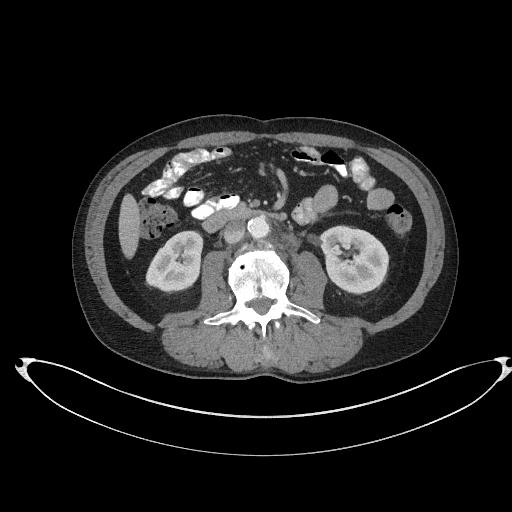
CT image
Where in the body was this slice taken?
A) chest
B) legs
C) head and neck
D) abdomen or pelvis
D) abdomen or pelvis
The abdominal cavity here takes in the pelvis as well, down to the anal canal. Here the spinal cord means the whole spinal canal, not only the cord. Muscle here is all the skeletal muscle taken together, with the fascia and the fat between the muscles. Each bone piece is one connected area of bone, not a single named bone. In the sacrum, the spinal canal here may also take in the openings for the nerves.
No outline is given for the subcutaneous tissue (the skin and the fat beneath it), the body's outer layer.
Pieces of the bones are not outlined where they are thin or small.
{"spinal_cord":[[[261,314],[262,314],[263,313],[265,313],[267,311],[267,310],[270,306],[270,305],[272,303],[273,303],[273,301],[271,301],[267,298],[262,298],[261,299],[255,299],[251,302],[250,302],[248,304],[248,305],[249,306],[251,306],[257,312],[258,312]]],"torso":[[[296,384],[336,380],[397,363],[421,352],[440,331],[454,295],[459,248],[449,204],[432,172],[377,132],[309,116],[267,120],[235,114],[198,116],[150,132],[114,154],[89,183],[71,239],[75,290],[95,337],[114,354],[172,376],[243,380],[267,375]]],"abdominal_cavity":[[[152,323],[197,304],[210,250],[228,250],[232,257],[257,246],[275,248],[290,268],[303,247],[312,251],[328,277],[326,311],[380,320],[406,301],[423,270],[425,230],[417,203],[400,179],[352,149],[259,139],[173,150],[120,190],[104,239],[114,289]]],"bones":[{"outer":[[264,339],[266,326],[272,322],[279,328],[283,316],[300,316],[315,324],[320,319],[288,300],[286,290],[290,270],[281,255],[273,248],[257,247],[237,252],[228,264],[227,284],[235,297],[234,306],[203,321],[208,325],[241,322],[249,330],[258,325]],"hole":[[261,314],[262,314],[263,313],[265,313],[267,311],[267,310],[270,306],[270,305],[272,303],[273,303],[273,301],[271,301],[267,298],[262,298],[261,299],[255,299],[251,302],[250,302],[248,304],[248,305],[249,306],[251,306],[257,312],[258,312]]}],"muscle":[{"outer":[[244,373],[262,367],[272,367],[273,368],[274,367],[287,373],[295,373],[300,371],[307,371],[317,373],[327,371],[332,368],[340,366],[346,363],[354,357],[362,347],[362,345],[365,340],[369,336],[377,332],[391,328],[403,322],[413,315],[421,307],[426,295],[435,283],[441,272],[444,258],[445,231],[444,230],[444,222],[440,208],[440,204],[436,193],[429,180],[413,162],[400,153],[389,148],[379,147],[372,144],[357,142],[352,139],[337,135],[332,136],[331,134],[302,132],[301,131],[292,131],[291,132],[273,133],[272,134],[260,134],[259,133],[255,134],[253,132],[249,131],[235,131],[232,130],[231,131],[218,131],[217,132],[199,134],[190,137],[186,137],[178,141],[161,144],[148,149],[140,150],[121,160],[103,177],[97,186],[91,199],[87,212],[85,228],[84,229],[84,252],[87,267],[102,300],[111,310],[115,312],[123,320],[132,326],[147,332],[152,332],[156,336],[158,342],[165,352],[173,360],[183,364],[196,367],[216,368],[222,366],[227,366],[237,372],[243,372]],"holes":[[[264,339],[283,316],[320,321],[286,296],[303,247],[328,277],[327,312],[375,322],[415,288],[424,259],[420,210],[368,155],[276,139],[186,148],[118,193],[104,247],[119,297],[152,323],[193,308],[205,255],[228,250],[235,304],[203,321],[258,325]],[[264,359],[268,359],[271,356],[271,353],[269,351],[269,350],[267,348],[267,347],[265,345],[263,347],[263,351],[262,352],[263,353],[263,358]]]}]}